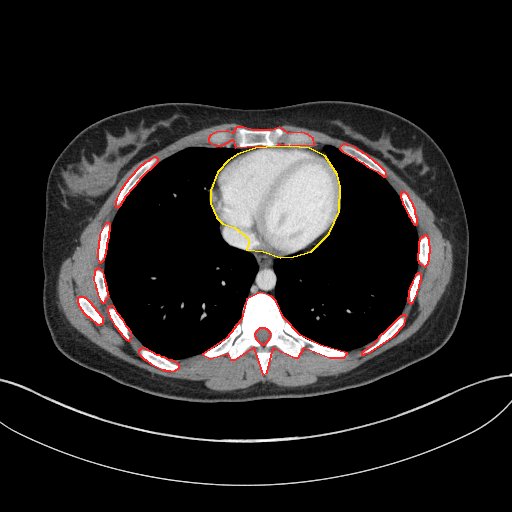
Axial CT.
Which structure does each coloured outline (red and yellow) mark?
red: bones; yellow: pericardium.
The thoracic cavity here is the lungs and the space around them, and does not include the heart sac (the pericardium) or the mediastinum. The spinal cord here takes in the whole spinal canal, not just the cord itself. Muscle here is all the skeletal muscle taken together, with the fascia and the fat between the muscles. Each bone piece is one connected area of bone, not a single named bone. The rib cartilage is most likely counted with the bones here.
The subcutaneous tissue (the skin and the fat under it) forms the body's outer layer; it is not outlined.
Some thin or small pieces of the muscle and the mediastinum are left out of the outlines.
{"bones":[{"outer":[[262,374],[267,372],[273,347],[294,357],[298,357],[304,347],[329,357],[344,357],[347,353],[320,345],[300,335],[283,317],[276,301],[271,296],[260,292],[246,299],[241,319],[226,338],[202,354],[210,358],[227,353],[230,359],[235,359],[253,347]],"hole":[[262,344],[264,344],[269,339],[269,338],[270,337],[270,335],[271,334],[270,333],[270,332],[267,329],[266,329],[265,328],[259,328],[255,332],[255,333],[254,334],[254,335],[255,336],[255,338],[260,343],[261,343]]},[[235,147],[258,145],[276,146],[280,143],[287,145],[314,144],[313,138],[307,134],[301,132],[288,133],[279,127],[272,130],[253,130],[243,127],[236,127],[232,133],[226,131],[216,132],[210,135],[208,138],[208,141],[215,145],[222,145],[232,139]],[[117,207],[118,207],[120,205],[126,195],[140,179],[140,178],[158,161],[158,159],[156,157],[154,157],[150,159],[148,161],[145,162],[142,165],[141,165],[127,180],[127,181],[124,184],[124,185],[120,190],[116,198],[116,200],[115,201],[115,206]],[[170,371],[175,370],[179,367],[179,365],[174,361],[172,360],[169,360],[164,357],[162,357],[159,355],[157,355],[145,348],[141,348],[139,350],[138,350],[138,352],[139,354],[144,359],[145,359],[150,363],[162,369],[164,369],[165,370],[169,370]],[[383,176],[385,176],[386,175],[386,173],[385,171],[377,163],[376,163],[366,154],[363,153],[361,151],[358,150],[356,148],[352,146],[347,145],[346,144],[343,144],[340,146],[339,148],[342,151],[354,157],[356,159],[362,162],[367,166],[377,171]],[[361,354],[364,354],[365,353],[369,352],[393,336],[404,324],[406,316],[405,315],[402,315],[400,316],[382,334],[381,334],[378,337],[376,341],[374,342],[373,344],[364,350],[361,353]],[[128,340],[130,340],[130,338],[132,334],[131,332],[129,330],[129,329],[127,327],[123,320],[120,317],[120,316],[118,314],[114,307],[113,306],[109,306],[107,308],[107,311],[108,312],[109,317],[111,319],[114,325],[121,333],[121,334],[126,339]],[[99,262],[101,262],[104,259],[105,257],[105,254],[106,253],[106,249],[107,248],[107,242],[108,241],[108,238],[109,237],[109,231],[110,230],[110,224],[108,222],[104,224],[99,234],[99,240],[98,241],[98,248],[97,249],[97,258]],[[97,324],[100,324],[101,323],[102,323],[103,322],[103,318],[96,310],[96,309],[92,305],[92,304],[86,298],[85,298],[84,297],[78,297],[77,298],[77,302],[78,303],[78,305],[80,307],[80,308],[82,310],[82,311],[87,316],[88,316]],[[102,302],[105,302],[105,300],[109,296],[108,295],[108,292],[107,291],[107,287],[106,286],[106,283],[105,282],[104,274],[102,270],[101,270],[99,268],[97,268],[94,271],[93,280],[95,284],[95,287],[96,288],[97,294],[100,300]],[[424,266],[425,266],[428,263],[428,261],[429,260],[429,253],[430,252],[430,246],[429,245],[429,239],[428,238],[428,237],[426,235],[424,235],[422,237],[421,237],[419,239],[419,241],[418,242],[418,253],[417,254],[417,259],[418,260],[418,262]],[[414,224],[416,224],[417,223],[417,218],[416,217],[416,215],[415,214],[415,209],[413,206],[413,204],[410,200],[408,195],[405,192],[401,192],[401,193],[400,194],[400,197],[401,198],[402,203],[403,204],[408,215],[410,217],[411,220]],[[410,303],[411,303],[413,301],[417,293],[417,291],[419,287],[419,284],[420,283],[420,280],[421,279],[421,275],[420,273],[417,273],[415,275],[412,281],[412,283],[409,288],[409,290],[408,291],[408,297],[407,298],[407,300]]],"pericardium":[[[280,257],[293,256],[311,251],[329,233],[339,211],[340,186],[337,174],[325,156],[309,148],[289,146],[266,147],[255,148],[237,154],[228,160],[217,172],[210,190],[210,203],[216,217],[222,223],[234,227],[247,237],[248,243],[246,249],[263,251]]],"muscle":[{"outer":[[220,391],[245,388],[260,381],[302,386],[349,371],[408,338],[432,312],[451,277],[451,244],[442,236],[431,209],[381,160],[367,154],[386,171],[385,177],[397,193],[405,191],[414,204],[418,237],[426,234],[430,239],[429,263],[417,267],[422,275],[418,293],[411,304],[406,302],[401,314],[407,316],[405,324],[388,341],[364,355],[360,353],[375,340],[347,351],[344,358],[329,358],[306,348],[294,358],[273,348],[265,375],[260,373],[253,348],[235,360],[227,354],[173,360],[180,367],[172,372],[150,364],[138,354],[143,346],[137,339],[132,335],[130,341],[126,340],[113,325],[106,311],[113,304],[109,297],[105,303],[99,300],[92,280],[97,267],[104,270],[104,260],[99,263],[96,258],[99,231],[107,221],[111,224],[118,209],[115,198],[132,173],[154,156],[160,161],[189,146],[214,145],[207,141],[210,134],[232,132],[241,125],[223,123],[204,128],[142,159],[127,171],[90,218],[80,234],[80,243],[63,261],[58,275],[58,305],[66,319],[91,342],[120,359],[163,376],[199,380]],"hole":[[97,324],[100,324],[101,323],[102,323],[103,322],[103,318],[96,310],[96,309],[92,305],[92,304],[86,298],[85,298],[84,297],[78,297],[77,298],[77,302],[78,303],[78,305],[80,307],[80,308],[82,310],[82,311],[87,316],[88,316]]},[[360,150],[361,150],[357,147],[345,141],[334,137],[331,137],[325,133],[319,131],[310,130],[306,128],[288,125],[287,124],[278,126],[288,132],[291,131],[301,131],[307,133],[314,138],[314,143],[329,144],[338,148],[341,144],[346,143],[352,145]]],"mediastinum":[[[275,299],[276,275],[273,270],[273,263],[278,258],[288,258],[291,257],[280,258],[266,254],[263,252],[254,252],[253,251],[248,251],[247,250],[246,250],[244,248],[247,243],[246,237],[234,228],[219,221],[219,229],[223,239],[229,245],[240,249],[243,249],[244,250],[246,250],[247,251],[249,251],[250,252],[255,257],[258,264],[258,271],[248,296],[260,291],[271,295]],[[326,157],[327,157],[327,156],[325,152],[323,150],[323,148],[322,147],[323,145],[320,145],[319,144],[315,144],[312,146],[300,146],[299,145],[293,145],[292,146],[290,146],[301,146],[302,147],[309,147],[312,149],[315,149],[320,153],[325,155]]],"torso":[[[199,403],[312,397],[360,387],[428,357],[448,341],[465,294],[469,231],[451,166],[422,128],[389,110],[352,101],[317,100],[247,109],[165,102],[104,117],[81,130],[65,146],[48,174],[42,238],[42,305],[54,345],[70,360],[122,385],[162,398]]],"spinal_cord":[[[262,344],[264,344],[269,339],[269,338],[270,337],[270,335],[271,334],[270,333],[270,332],[267,329],[266,329],[265,328],[259,328],[255,332],[255,333],[254,334],[254,335],[255,336],[255,338],[260,343],[261,343]]],"thoracic_cavity":[[[169,359],[202,353],[223,340],[240,319],[243,303],[257,271],[255,259],[249,252],[229,246],[222,239],[218,221],[209,203],[211,182],[221,166],[237,152],[233,147],[189,147],[157,163],[127,195],[111,225],[104,271],[109,295],[121,317],[144,347]],[[343,350],[353,349],[376,339],[400,315],[408,288],[416,273],[418,238],[415,226],[407,215],[399,196],[384,177],[339,149],[324,145],[324,150],[338,174],[341,186],[340,211],[330,233],[311,252],[275,261],[276,300],[284,317],[300,334],[320,344]]]}